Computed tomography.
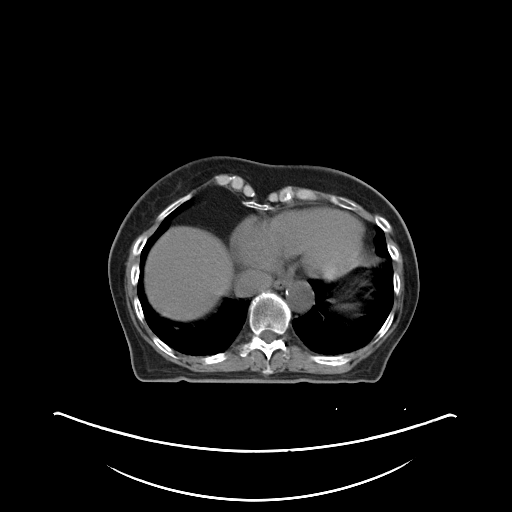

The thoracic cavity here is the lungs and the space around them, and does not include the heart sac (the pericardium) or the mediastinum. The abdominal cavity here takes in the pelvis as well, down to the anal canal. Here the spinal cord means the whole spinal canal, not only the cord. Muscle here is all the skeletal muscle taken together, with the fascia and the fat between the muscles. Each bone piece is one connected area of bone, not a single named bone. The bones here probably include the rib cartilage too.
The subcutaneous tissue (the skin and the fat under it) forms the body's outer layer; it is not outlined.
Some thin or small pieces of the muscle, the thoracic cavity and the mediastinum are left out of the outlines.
{"pericardium":[[[294,204],[327,204],[357,214],[367,228],[367,245],[360,262],[344,276],[333,280],[320,276],[318,278],[310,277],[299,270],[275,271],[262,270],[257,267],[240,267],[236,272],[230,255],[229,241],[239,225],[252,213],[269,212],[274,208],[283,208]]],"torso":[[[211,155],[235,156],[269,164],[320,165],[341,170],[375,188],[398,211],[409,232],[416,254],[419,297],[406,331],[376,382],[191,383],[183,380],[143,382],[134,375],[128,344],[108,282],[107,261],[111,244],[128,210],[152,183],[183,163]]],"abdominal_cavity":[[[210,186],[225,187],[236,194],[246,207],[256,209],[256,212],[252,212],[238,225],[228,241],[229,255],[235,268],[232,294],[237,298],[224,298],[215,312],[203,320],[192,323],[162,318],[152,309],[144,292],[144,266],[148,252],[169,227],[172,220]],[[366,246],[369,250],[375,250],[375,253],[384,260],[379,267],[371,270],[375,286],[373,299],[363,304],[361,316],[348,319],[332,311],[326,301],[338,284],[325,283],[321,279],[316,279],[320,277],[327,281],[333,281],[344,277],[364,258]]],"spinal_cord":[[[265,330],[270,330],[271,331],[272,331],[274,333],[275,333],[275,334],[276,335],[276,336],[275,337],[275,338],[274,339],[273,339],[270,342],[266,342],[264,340],[263,340],[260,337],[260,334],[261,333],[261,332],[262,332],[263,331],[264,331]]],"muscle":[[[392,227],[394,231],[393,238],[402,255],[404,275],[402,313],[399,322],[392,333],[377,349],[346,372],[320,374],[285,370],[273,373],[274,371],[269,363],[272,354],[276,350],[281,350],[283,355],[286,358],[288,357],[290,350],[284,339],[284,335],[287,331],[293,333],[306,348],[317,354],[310,354],[308,356],[310,360],[321,365],[334,367],[348,363],[353,357],[353,354],[350,352],[361,348],[374,337],[373,341],[376,342],[386,333],[395,317],[395,313],[392,310],[393,297],[394,294],[396,296],[399,294],[401,286],[400,276],[396,271],[394,271],[392,265],[392,261],[397,261],[399,259],[399,250],[393,243],[387,242],[385,235],[385,233],[389,233],[392,230]],[[134,241],[131,248],[131,253],[133,256],[139,257],[138,262],[134,263],[130,268],[130,283],[133,286],[136,286],[137,292],[137,295],[133,297],[132,305],[137,319],[141,323],[145,320],[153,332],[154,334],[152,335],[151,339],[154,344],[161,351],[174,359],[178,357],[174,352],[175,350],[187,355],[202,356],[200,358],[201,362],[204,365],[211,365],[224,361],[228,357],[227,352],[225,351],[244,331],[248,329],[251,333],[250,337],[241,345],[239,355],[244,358],[255,349],[261,351],[266,359],[266,365],[261,370],[261,372],[267,375],[248,369],[240,371],[214,372],[193,371],[165,359],[140,335],[130,317],[127,308],[124,287],[126,262],[129,254],[129,249]],[[214,176],[215,176],[214,178],[214,180],[215,181],[215,184],[216,185],[210,185],[209,187],[206,188],[203,191],[202,191],[201,193],[193,197],[193,194],[190,191],[194,188],[204,183],[206,181],[207,181],[209,179],[210,179]],[[359,205],[360,205],[362,207],[363,207],[366,210],[367,210],[369,212],[370,212],[371,213],[375,213],[376,214],[379,214],[376,214],[373,217],[373,221],[371,221],[368,219],[366,219],[361,215],[356,213],[356,212],[355,211],[356,211],[361,207]],[[155,218],[155,220],[157,222],[158,222],[159,223],[159,224],[157,226],[157,227],[154,230],[154,231],[151,234],[151,235],[150,235],[149,236],[148,236],[147,235],[145,235],[144,234],[142,234],[141,235],[140,235],[152,223],[152,221]],[[313,190],[317,190],[318,191],[321,191],[322,192],[325,192],[326,193],[329,193],[329,194],[328,194],[326,196],[326,199],[327,200],[327,201],[324,201],[323,200],[318,200],[318,199],[319,198],[319,196]]],"bones":[{"outer":[[265,291],[281,297],[291,312],[289,328],[283,335],[289,350],[287,357],[281,349],[276,349],[271,354],[268,361],[273,371],[271,374],[262,372],[267,365],[267,359],[261,350],[255,348],[244,357],[240,355],[242,345],[252,334],[248,325],[250,302]],"hole":[[265,330],[270,330],[271,331],[272,331],[274,333],[275,333],[275,334],[276,335],[276,336],[275,337],[275,338],[274,339],[273,339],[270,342],[266,342],[264,340],[263,340],[260,337],[260,334],[261,333],[261,332],[262,332],[263,331],[264,331]]},[[218,175],[240,177],[244,185],[254,190],[254,199],[260,203],[267,203],[270,193],[277,193],[286,186],[295,191],[300,188],[312,190],[318,198],[270,202],[271,209],[261,210],[243,203],[246,197],[241,189],[235,190],[230,184],[217,185],[215,178]],[[346,353],[351,353],[352,354],[351,359],[348,362],[344,364],[342,364],[341,365],[336,365],[335,366],[333,365],[329,365],[328,364],[321,364],[309,358],[309,356],[310,355],[325,355],[326,356],[335,356],[336,355],[340,355],[341,354],[345,354]],[[330,194],[333,194],[334,195],[336,195],[338,197],[344,197],[345,198],[347,198],[348,199],[355,202],[360,207],[354,211],[353,210],[350,210],[349,209],[346,209],[343,207],[340,207],[337,205],[334,205],[333,204],[330,203],[327,199],[327,196]],[[189,192],[190,192],[192,194],[192,198],[191,198],[189,200],[187,200],[185,201],[183,203],[179,205],[169,214],[168,214],[160,222],[156,220],[156,217],[162,210],[163,210],[172,202],[184,196]],[[391,310],[393,311],[394,313],[394,317],[393,318],[393,320],[390,326],[385,332],[385,333],[379,339],[378,339],[376,341],[374,341],[375,340],[375,337],[374,336],[375,334],[379,330],[379,329],[385,321],[387,316],[389,314]],[[220,352],[226,352],[226,354],[227,355],[227,357],[224,360],[222,361],[220,361],[216,363],[212,363],[211,364],[204,364],[201,360],[201,358],[203,356],[207,356],[208,355],[214,355]],[[153,335],[156,335],[163,342],[164,342],[168,346],[169,346],[173,350],[173,352],[176,355],[176,356],[177,357],[176,358],[174,358],[173,357],[170,356],[162,350],[161,350],[155,344],[155,343],[153,341],[153,340],[152,339],[152,337],[153,336]],[[142,235],[147,236],[148,237],[148,238],[147,239],[147,240],[145,242],[145,243],[139,254],[139,256],[138,256],[137,255],[133,255],[133,254],[132,253],[132,248],[133,247],[133,245],[134,244],[135,241],[137,239],[137,238],[139,236],[141,236]],[[376,215],[380,215],[381,216],[382,216],[384,218],[385,218],[388,221],[388,222],[390,224],[390,225],[391,226],[391,230],[389,232],[384,232],[384,231],[379,226],[378,226],[375,223],[375,222],[374,221],[374,217]],[[135,296],[137,296],[138,297],[139,299],[139,301],[140,302],[140,304],[141,305],[141,308],[142,309],[142,312],[143,313],[143,316],[144,317],[144,320],[142,322],[141,322],[138,319],[136,315],[135,310],[134,309],[134,306],[133,305],[133,300]],[[136,263],[138,263],[138,265],[139,266],[139,273],[138,274],[138,279],[137,280],[137,283],[136,284],[136,285],[133,285],[131,283],[131,268],[132,267],[132,266],[134,264],[135,264]],[[387,243],[391,243],[392,244],[393,244],[396,247],[396,248],[398,250],[398,253],[399,254],[399,255],[398,256],[398,259],[397,260],[392,260],[391,259],[391,257],[390,256],[390,255],[389,254],[389,252],[388,251],[388,249],[387,248]],[[394,272],[396,272],[398,274],[398,275],[399,276],[399,278],[400,279],[400,286],[399,287],[399,292],[398,293],[398,294],[397,295],[396,295],[394,293],[394,291],[393,290],[393,273]]],"thoracic_cavity":[[[377,226],[384,233],[393,270],[391,309],[373,337],[361,347],[335,355],[318,354],[288,330],[292,319],[315,305],[315,292],[309,280],[337,284],[325,299],[329,309],[348,320],[361,317],[364,304],[372,301],[376,292],[372,270],[385,260],[374,246]],[[194,197],[149,248],[143,266],[142,284],[147,303],[160,318],[183,324],[205,320],[218,310],[226,298],[243,297],[250,300],[247,309],[248,328],[224,351],[207,355],[180,352],[155,334],[145,319],[137,291],[139,258],[149,237],[168,215]]],"mediastinum":[[[240,268],[257,268],[262,271],[275,272],[302,272],[306,276],[315,279],[310,278],[308,280],[314,292],[313,307],[305,313],[292,318],[292,312],[287,302],[281,296],[273,291],[262,291],[251,299],[243,296],[234,296],[234,280],[236,273]],[[360,216],[366,220],[368,220],[371,222],[374,222],[376,225],[376,227],[375,228],[375,235],[373,238],[373,246],[374,247],[374,249],[369,249],[368,248],[368,244],[367,243],[368,241],[367,240],[368,239],[368,228]],[[231,190],[233,190],[234,191],[237,191],[238,192],[241,192],[242,193],[242,194],[245,197],[245,199],[243,201],[242,201],[240,199],[239,199],[239,198],[238,197],[237,194],[236,193],[235,193],[234,192],[231,191]]]}